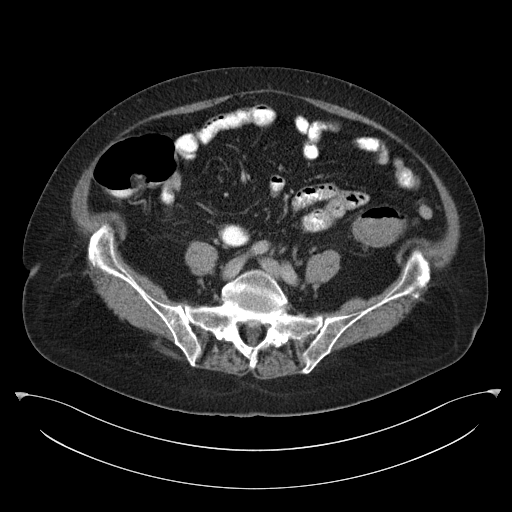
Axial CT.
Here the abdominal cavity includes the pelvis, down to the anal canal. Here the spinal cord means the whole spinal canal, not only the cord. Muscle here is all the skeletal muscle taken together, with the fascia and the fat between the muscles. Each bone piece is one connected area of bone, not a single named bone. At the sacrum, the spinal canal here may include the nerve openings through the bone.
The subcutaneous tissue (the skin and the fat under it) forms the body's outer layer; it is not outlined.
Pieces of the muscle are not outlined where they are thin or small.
Outlines (x, y in pixels):
bones: (104, 223) (117, 261) (169, 305) (219, 305) (226, 283) (259, 269) (292, 314) (358, 313) (398, 283) (415, 248) (430, 278) (355, 321) (309, 373) (301, 372) (302, 354) (313, 335) (261, 349) (251, 369) (231, 342) (198, 326) (193, 367) (138, 292) (90, 262) (90, 236); inner edge: (240, 322) (242, 323) (246, 323) (247, 322) (257, 322) (260, 324) (262, 323) (265, 324) (266, 326) (266, 330) (263, 336) (255, 345) (249, 345) (244, 340) (244, 339) (241, 336) (239, 335) (238, 333) (238, 329) (237, 328) (237, 325) (238, 323)
abdominal cavity: (259, 93) (300, 99) (369, 125) (429, 173) (445, 231) (434, 241) (406, 238) (395, 256) (399, 273) (380, 293) (352, 296) (334, 310) (292, 313) (278, 282) (251, 268) (221, 287) (219, 304) (172, 299) (124, 259) (125, 218) (90, 210) (93, 166) (107, 146) (150, 121) with a hole at (330, 249) (335, 250) (339, 254) (340, 256) (340, 260) (339, 261) (340, 268) (337, 273) (330, 279) (324, 283) (321, 283) (319, 286) (315, 287) (312, 283) (306, 281) (305, 272) (306, 271) (306, 265) (307, 262) (310, 257) (316, 254) (321, 253) (325, 250) (329, 250)
muscle 1: (268, 87) (355, 111) (381, 124) (408, 143) (436, 172) (456, 205) (460, 223) (456, 252) (449, 264) (432, 275) (431, 285) (423, 299) (397, 325) (381, 335) (342, 349) (335, 359) (314, 369) (355, 322) (392, 300) (421, 290) (430, 280) (430, 263) (422, 251) (415, 247) (405, 260) (399, 280) (380, 300) (358, 312) (324, 317) (320, 313) (310, 315) (316, 311) (337, 310) (352, 297) (368, 299) (380, 294) (400, 273) (401, 267) (396, 256) (406, 239) (419, 237) (434, 242) (442, 238) (447, 227) (446, 215) (430, 173) (407, 149) (379, 129) (329, 112) (303, 99) (276, 92) (236, 95) (203, 109) (150, 120) (107, 145) (97, 156) (91, 170) (88, 208) (96, 213) (119, 213) (126, 225) (125, 235) (119, 244) (123, 259) (134, 270) (161, 286) (170, 299) (184, 298) (198, 305) (169, 304) (150, 295) (118, 261) (114, 229) (107, 222) (89, 236) (87, 258) (93, 267) (131, 286) (159, 316) (169, 330) (173, 343) (187, 361) (174, 359) (151, 347) (141, 330) (119, 319) (95, 292) (85, 273) (85, 243) (76, 230) (70, 212) (74, 186) (100, 150) (135, 122) (185, 104) (237, 91)
muscle 2: (193, 327) (210, 332) (219, 341) (231, 343) (247, 359) (247, 365) (251, 370) (256, 367) (261, 350) (271, 345) (279, 348) (289, 340) (303, 341) (310, 336) (313, 337) (301, 354) (304, 362) (300, 370) (301, 374) (258, 379) (250, 373) (238, 376) (195, 367) (202, 349)
muscle 3: (330, 249) (335, 250) (339, 254) (340, 256) (340, 260) (339, 261) (340, 268) (337, 273) (330, 279) (324, 283) (321, 283) (319, 286) (315, 287) (312, 283) (306, 281) (305, 272) (306, 271) (306, 265) (307, 262) (310, 257) (316, 254) (321, 253) (325, 250) (329, 250)
muscle 4: (196, 240) (197, 241) (206, 242) (213, 246) (217, 251) (217, 255) (218, 256) (215, 265) (213, 268) (213, 271) (211, 273) (208, 273) (202, 276) (198, 276) (192, 273) (189, 267) (185, 263) (185, 260) (184, 259) (184, 254) (189, 244) (192, 241) (195, 241)
spinal cord: (240, 322) (242, 323) (246, 323) (247, 322) (257, 322) (260, 324) (262, 323) (265, 324) (266, 326) (266, 330) (263, 336) (255, 345) (249, 345) (244, 340) (244, 339) (241, 336) (239, 335) (238, 333) (238, 329) (237, 328) (237, 325) (238, 323)
torso: (231, 66) (299, 68) (359, 85) (405, 111) (449, 154) (480, 212) (488, 276) (486, 311) (461, 358) (352, 406) (305, 415) (238, 417) (191, 414) (139, 401) (50, 362) (34, 348) (22, 319) (28, 275) (22, 261) (23, 239) (62, 156) (93, 121) (130, 95) (172, 77)